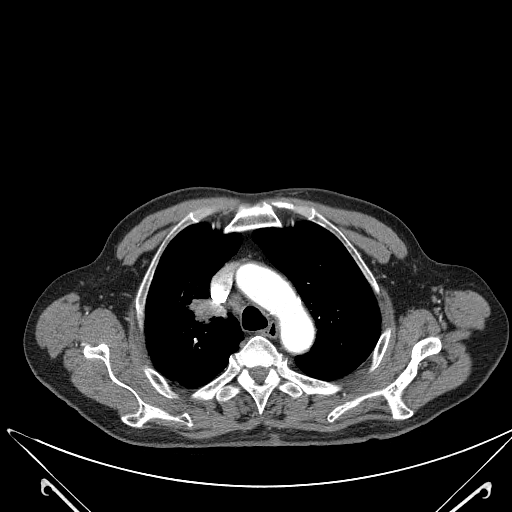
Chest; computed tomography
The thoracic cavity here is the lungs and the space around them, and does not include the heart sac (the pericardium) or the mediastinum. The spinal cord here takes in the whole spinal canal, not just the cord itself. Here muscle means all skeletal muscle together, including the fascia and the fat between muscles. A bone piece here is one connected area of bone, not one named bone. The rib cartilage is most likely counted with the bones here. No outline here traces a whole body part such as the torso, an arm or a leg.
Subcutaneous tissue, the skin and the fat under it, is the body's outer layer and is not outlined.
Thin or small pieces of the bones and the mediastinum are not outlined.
{"thoracic_cavity":[[[204,220],[213,231],[221,230],[226,235],[242,233],[237,251],[211,277],[205,303],[208,317],[225,319],[230,314],[235,318],[243,338],[218,375],[197,388],[188,388],[169,381],[153,367],[144,338],[145,306],[156,268],[168,244],[185,228]],[[298,219],[319,225],[339,240],[370,286],[380,309],[381,332],[369,356],[353,371],[334,381],[309,376],[289,365],[289,362],[294,363],[296,356],[306,354],[314,344],[317,333],[315,320],[294,284],[268,259],[252,235],[252,231],[257,229],[292,227]]],"spinal_cord":[[[257,366],[260,366],[261,367],[263,367],[264,368],[265,368],[267,370],[267,374],[266,375],[266,376],[265,377],[265,378],[261,383],[257,383],[255,381],[255,380],[251,376],[251,375],[250,374],[250,370],[252,368],[253,368],[254,367],[256,367]]],"muscle":[{"outer":[[277,194],[312,199],[369,214],[398,235],[407,247],[407,256],[404,259],[392,256],[383,270],[387,274],[397,316],[410,308],[431,308],[447,289],[472,290],[488,302],[490,314],[484,327],[466,342],[472,371],[456,388],[430,400],[415,413],[404,401],[403,393],[417,375],[420,362],[442,349],[440,337],[428,335],[413,344],[407,364],[387,385],[346,400],[326,415],[327,421],[332,423],[363,401],[381,396],[395,420],[365,420],[330,432],[268,428],[260,424],[244,431],[192,439],[164,429],[137,428],[152,419],[179,422],[188,428],[194,423],[186,411],[173,415],[146,402],[131,386],[121,381],[112,370],[110,348],[105,342],[96,345],[82,342],[82,354],[87,359],[100,359],[109,378],[135,397],[137,409],[119,417],[115,409],[78,391],[62,363],[51,359],[46,350],[38,345],[35,327],[40,314],[54,300],[70,292],[76,292],[81,305],[89,311],[97,307],[111,308],[121,317],[127,300],[125,294],[132,289],[134,274],[116,257],[116,249],[125,234],[146,215],[194,197],[225,195],[255,201]],"hole":[[270,199],[313,206],[359,252],[379,286],[376,303],[381,330],[391,327],[379,364],[369,372],[369,356],[334,381],[342,384],[335,394],[303,392],[293,398],[276,387],[262,414],[253,397],[242,388],[220,403],[214,397],[192,399],[190,394],[195,388],[169,381],[179,397],[164,396],[143,371],[145,364],[153,365],[135,308],[138,287],[153,255],[171,228],[190,211],[222,204],[203,219],[224,226],[240,204],[249,206]]},[[276,209],[277,209],[278,210],[287,210],[288,211],[290,211],[295,214],[300,215],[303,218],[298,218],[297,219],[297,218],[294,215],[293,215],[290,218],[290,219],[289,220],[285,220],[283,222],[277,215],[277,214],[276,213],[276,211],[275,210]]],"bones":[{"outer":[[255,335],[267,338],[294,370],[312,378],[341,383],[342,389],[330,395],[303,392],[293,398],[276,387],[267,398],[262,414],[259,414],[253,397],[242,388],[220,403],[214,397],[206,400],[190,398],[193,391],[218,376],[227,367],[230,355]],"hole":[[257,366],[260,366],[261,367],[263,367],[264,368],[265,368],[267,370],[267,374],[266,375],[266,376],[265,377],[265,378],[261,383],[257,383],[255,381],[255,380],[251,376],[251,375],[250,374],[250,370],[252,368],[253,368],[254,367],[256,367]]},[[270,199],[302,202],[313,206],[333,223],[356,248],[372,272],[379,286],[379,295],[376,297],[354,259],[335,235],[319,224],[290,210],[277,208],[274,210],[282,222],[282,227],[262,227],[251,231],[223,233],[222,229],[231,220],[240,204],[249,206]],[[428,336],[438,336],[441,341],[441,349],[419,362],[416,375],[401,396],[406,405],[413,410],[413,415],[405,419],[393,419],[387,402],[381,395],[367,398],[345,411],[334,421],[328,421],[327,415],[336,406],[381,389],[392,382],[408,364],[414,344]],[[82,343],[91,346],[105,343],[109,348],[111,370],[121,382],[131,387],[146,403],[173,416],[186,412],[193,424],[188,427],[183,422],[160,418],[152,418],[141,427],[122,422],[122,415],[138,409],[136,397],[110,378],[107,367],[100,358],[85,357]],[[220,204],[222,204],[223,207],[212,214],[206,216],[203,220],[190,224],[181,230],[170,240],[163,250],[155,268],[145,299],[143,334],[142,334],[138,327],[136,317],[135,296],[141,280],[153,255],[171,228],[187,213],[190,211],[196,210],[204,205]],[[145,364],[152,367],[162,376],[163,376],[168,381],[172,388],[176,392],[178,393],[179,397],[178,398],[168,398],[164,396],[162,394],[159,393],[152,386],[152,385],[150,383],[149,380],[147,378],[143,371],[143,366]],[[387,326],[389,326],[391,327],[391,333],[390,334],[390,338],[388,342],[388,345],[386,348],[386,350],[379,364],[372,371],[369,372],[368,371],[368,368],[371,363],[371,358],[370,357],[370,355],[373,351],[382,331],[385,328],[385,327]]],"mediastinum":[[[245,232],[251,232],[254,241],[267,259],[293,284],[314,320],[316,333],[313,344],[306,353],[296,355],[293,363],[267,337],[261,334],[251,336],[240,346],[244,333],[238,320],[230,313],[225,318],[208,316],[206,300],[210,298],[211,279],[238,251]]]}